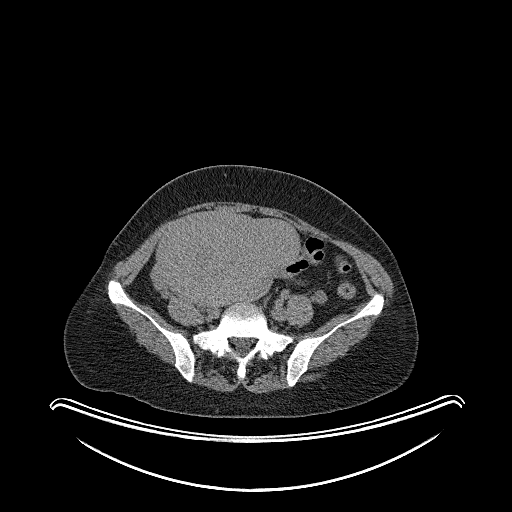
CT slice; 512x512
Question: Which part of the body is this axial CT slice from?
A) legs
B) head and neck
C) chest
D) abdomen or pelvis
Answer: D) abdomen or pelvis
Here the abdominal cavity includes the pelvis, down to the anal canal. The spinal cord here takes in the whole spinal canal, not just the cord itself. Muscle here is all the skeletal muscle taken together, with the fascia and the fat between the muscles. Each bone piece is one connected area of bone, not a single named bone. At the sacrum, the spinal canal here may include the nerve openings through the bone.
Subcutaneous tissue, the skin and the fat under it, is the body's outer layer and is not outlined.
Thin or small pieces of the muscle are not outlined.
Outlines (x, y in pixels):
spinal cord: 232 338; 234 339; 237 339; 238 338; 245 338; 246 339; 251 339; 253 340; 254 343; 253 345; 251 346; 249 351; 245 355; 243 356; 241 356; 239 355; 235 351; 235 349; 233 347; 232 347; 232 346; 230 344; 229 341; 230 339
muscle 1: 208 201; 242 202; 287 211; 335 238; 366 251; 388 273; 394 292; 385 314; 373 323; 366 337; 331 365; 323 377; 295 386; 308 370; 309 362; 317 347; 339 328; 364 317; 377 316; 384 307; 385 297; 376 291; 370 298; 356 262; 349 253; 325 237; 303 232; 282 217; 258 211; 230 212; 214 208; 200 208; 181 215; 165 226; 148 260; 126 290; 132 298; 153 308; 168 323; 192 334; 192 342; 202 350; 209 351; 217 358; 228 355; 237 364; 236 376; 239 380; 245 378; 247 365; 256 356; 266 361; 293 343; 292 333; 313 331; 336 315; 350 314; 358 305; 366 302; 355 314; 338 322; 325 333; 302 338; 294 344; 285 362; 285 381; 291 388; 256 394; 242 387; 222 392; 189 383; 194 379; 196 363; 189 340; 182 333; 165 328; 138 306; 117 279; 111 278; 106 285; 111 303; 138 312; 166 338; 174 355; 173 365; 185 381; 168 371; 157 357; 136 342; 135 336; 106 299; 105 280; 118 261; 136 249; 169 216; 186 207
muscle 2: 293 295; 305 295; 311 300; 311 305; 313 309; 313 315; 310 319; 310 320; 306 324; 300 327; 297 327; 295 325; 292 325; 290 324; 288 320; 286 319; 285 310; 287 306; 287 303; 290 299; 291 296
muscle 3: 173 297; 174 298; 185 298; 186 300; 189 300; 189 301; 191 302; 191 303; 193 304; 198 310; 199 310; 199 312; 202 315; 203 321; 201 322; 199 325; 190 325; 189 326; 186 326; 175 320; 172 317; 169 311; 169 305; 171 299
bones 1: 236 303; 255 305; 264 314; 270 329; 293 338; 293 342; 285 349; 275 352; 266 360; 258 355; 251 359; 246 365; 243 379; 238 378; 238 364; 228 354; 217 357; 209 350; 195 344; 192 339; 193 334; 214 328; 219 323; 223 312; inner edge: 232 338; 234 339; 237 339; 238 338; 245 338; 246 339; 251 339; 253 340; 254 343; 253 345; 251 346; 249 351; 245 355; 243 356; 241 356; 239 355; 235 351; 235 349; 233 347; 232 347; 232 346; 230 344; 229 341; 230 339
bones 2: 376 292; 381 293; 384 297; 384 303; 381 311; 377 315; 368 315; 353 320; 339 327; 324 339; 312 353; 307 365; 307 370; 300 376; 294 386; 289 387; 286 381; 286 362; 295 344; 305 338; 321 336; 338 323; 352 317; 367 303
bones 3: 111 279; 117 280; 130 299; 138 307; 147 312; 162 327; 169 331; 180 333; 188 340; 195 357; 194 376; 191 382; 188 382; 175 367; 174 365; 175 355; 167 338; 144 315; 138 311; 123 304; 116 304; 111 302; 107 290; 108 282
abdominal cavity: 200 209; 258 212; 282 218; 303 233; 327 239; 353 258; 369 298; 350 313; 338 313; 313 330; 292 332; 290 335; 270 328; 262 310; 246 302; 229 305; 214 327; 194 333; 168 322; 153 307; 132 297; 127 288; 149 260; 166 226, around a hole outlined by 293 295; 305 295; 311 300; 311 305; 313 309; 313 315; 310 319; 310 320; 306 324; 300 327; 297 327; 295 325; 292 325; 290 324; 288 320; 286 319; 285 310; 287 306; 287 303; 290 299; 291 296
torso: 218 164; 260 166; 309 179; 346 202; 384 240; 406 283; 419 334; 414 368; 401 386; 363 404; 327 413; 301 417; 229 418; 162 410; 130 396; 87 388; 73 377; 63 351; 64 324; 72 305; 114 237; 140 205; 163 184; 185 172